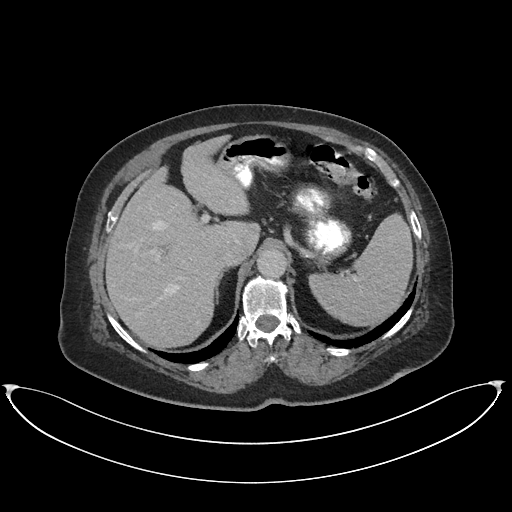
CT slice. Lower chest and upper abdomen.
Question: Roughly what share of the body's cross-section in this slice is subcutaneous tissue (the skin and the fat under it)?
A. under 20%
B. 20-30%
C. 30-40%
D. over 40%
Answer: B. 20-30%
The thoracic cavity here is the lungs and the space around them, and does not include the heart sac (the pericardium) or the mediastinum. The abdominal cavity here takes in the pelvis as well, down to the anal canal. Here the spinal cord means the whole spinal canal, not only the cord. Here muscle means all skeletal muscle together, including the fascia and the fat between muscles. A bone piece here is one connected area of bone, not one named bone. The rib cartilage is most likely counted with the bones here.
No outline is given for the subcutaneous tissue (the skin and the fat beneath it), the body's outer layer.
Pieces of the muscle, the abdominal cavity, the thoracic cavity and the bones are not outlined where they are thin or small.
Outlined structures:
thoracic cavity 1: 415 284; 415 293; 413 300; 405 312; 389 329; 380 336; 367 343; 355 347; 337 347; 336 346; 326 344; 319 339; 317 339; 308 332; 309 330; 336 340; 346 340; 347 339; 353 339; 354 338; 361 337; 382 324; 392 316; 404 303
thoracic cavity 2: 238 314; 239 317; 235 335; 228 342; 226 346; 218 353; 205 360; 191 363; 176 362; 166 359; 150 350; 150 349; 156 350; 171 354; 180 354; 193 352; 200 350; 202 348; 205 348; 206 346; 208 346; 215 340; 232 323; 234 318
muscle: 249 120; 276 120; 277 121; 287 121; 288 122; 296 122; 304 124; 313 124; 314 125; 326 126; 342 131; 353 137; 367 141; 380 148; 397 164; 411 183; 421 204; 421 211; 426 221; 426 224; 430 235; 430 244; 428 249; 430 254; 429 270; 428 271; 429 280; 427 288; 428 301; 429 302; 428 304; 428 309; 429 310; 428 320; 424 326; 411 337; 390 348; 355 372; 329 384; 307 385; 298 381; 296 379; 287 376; 280 369; 276 366; 274 366; 269 367; 264 372; 263 375; 256 381; 248 384; 244 388; 233 393; 210 392; 189 385; 184 382; 178 381; 165 374; 149 368; 110 347; 104 346; 98 343; 93 339; 88 330; 90 324; 90 313; 92 310; 93 301; 92 300; 92 291; 88 277; 88 264; 86 259; 88 255; 88 249; 91 241; 91 235; 94 224; 94 217; 97 211; 97 207; 100 203; 100 199; 103 193; 103 190; 108 182; 116 172; 130 158; 146 148; 151 143; 160 138; 177 132; 200 126; 206 126; 226 122; 248 121 with holes at 242 125; 302 131; 356 152; 357 145; 369 147; 393 170; 400 181; 395 189; 407 214; 411 209; 415 212; 422 235; 415 240; 413 309; 393 335; 335 356; 293 310; 302 331; 293 331; 288 341; 278 334; 271 346; 259 338; 252 347; 235 335; 205 360; 209 364; 205 368; 193 371; 187 363; 149 349; 137 350; 113 328; 106 316; 114 313; 103 277; 108 212; 114 205; 120 210; 170 146 and at 270 355; 272 355; 273 356; 274 356; 275 357; 275 358; 277 360; 277 362; 268 362; 267 361; 266 361; 265 360; 265 359; 267 357; 268 357
torso: 228 103; 282 104; 344 116; 381 132; 408 156; 438 203; 451 246; 455 323; 449 343; 435 359; 355 397; 319 405; 272 403; 254 411; 227 411; 145 397; 95 377; 64 357; 57 340; 64 254; 76 198; 88 172; 110 147; 143 127
mediastinum: 270 246; 279 248; 285 253; 287 259; 286 279; 291 291; 291 303; 293 310; 292 311; 288 310; 287 299; 288 288; 286 284; 280 279; 273 279; 257 274; 249 279; 241 291; 241 314; 239 315; 239 298; 241 288; 260 252; 264 248
spinal cord: 263 315; 271 315; 272 316; 274 316; 278 320; 278 323; 277 324; 277 325; 272 330; 271 330; 270 331; 264 331; 263 330; 262 330; 261 329; 260 329; 257 327; 257 326; 256 325; 256 321; 258 319; 258 318; 259 317; 260 317
bones 1: 257 275; 273 280; 280 280; 287 288; 287 310; 294 315; 302 331; 301 333; 293 331; 288 341; 281 334; 278 334; 271 346; 264 338; 259 338; 257 345; 252 347; 245 338; 239 341; 236 336; 239 318; 242 314; 243 290; 250 279; inner edge: 263 315; 271 315; 272 316; 274 316; 278 320; 278 323; 277 324; 277 325; 272 330; 271 330; 270 331; 264 331; 263 330; 262 330; 261 329; 260 329; 257 327; 257 326; 256 325; 256 321; 258 319; 258 318; 259 317; 260 317
bones 2: 357 145; 359 145; 362 147; 369 147; 373 149; 381 157; 382 157; 393 170; 399 179; 400 181; 400 185; 397 187; 393 187; 389 183; 384 172; 382 171; 382 170; 376 165; 374 162; 366 158; 364 154; 360 152; 357 149; 356 147
bones 3: 107 312; 110 313; 119 322; 122 327; 136 342; 137 342; 141 346; 142 346; 147 350; 147 352; 146 353; 141 352; 131 346; 128 343; 127 343; 116 332; 116 331; 113 328; 113 327; 109 322; 106 316; 106 313
bones 4: 411 305; 413 306; 413 309; 412 310; 412 312; 408 320; 404 324; 404 325; 393 335; 392 335; 390 337; 387 337; 383 339; 381 337; 381 336; 388 330; 389 330; 400 319; 400 318; 406 312; 406 311; 410 307
bones 5: 411 209; 412 209; 415 212; 417 216; 418 221; 420 224; 420 227; 421 228; 421 234; 422 235; 422 237; 420 240; 417 240; 416 239; 416 237; 414 235; 414 233; 412 229; 412 226; 410 223; 410 220; 408 215; 409 214; 409 211
bones 6: 114 205; 116 205; 116 206; 117 207; 117 219; 116 220; 111 231; 109 233; 109 234; 108 234; 107 233; 106 233; 106 232; 105 231; 105 224; 106 223; 106 221; 107 220; 107 214; 108 213; 108 212; 113 207; 113 206
bones 7: 329 346; 332 346; 333 347; 336 347; 337 348; 350 348; 351 349; 351 351; 348 354; 347 354; 346 355; 343 355; 342 356; 335 356; 334 355; 331 355; 326 350; 326 348; 327 347; 328 347
bones 8: 202 361; 206 361; 207 362; 208 362; 208 363; 209 364; 205 368; 204 368; 203 369; 202 369; 201 370; 199 370; 198 371; 193 371; 192 370; 188 370; 187 369; 187 365; 188 364; 191 364; 192 363; 198 363; 199 362; 201 362
abdominal cavity: 242 125; 302 131; 374 163; 407 212; 416 242; 415 283; 399 308; 367 333; 332 338; 302 325; 293 309; 286 253; 270 245; 259 252; 240 288; 238 313; 208 345; 180 353; 147 349; 115 317; 108 300; 108 235; 128 196; 167 148